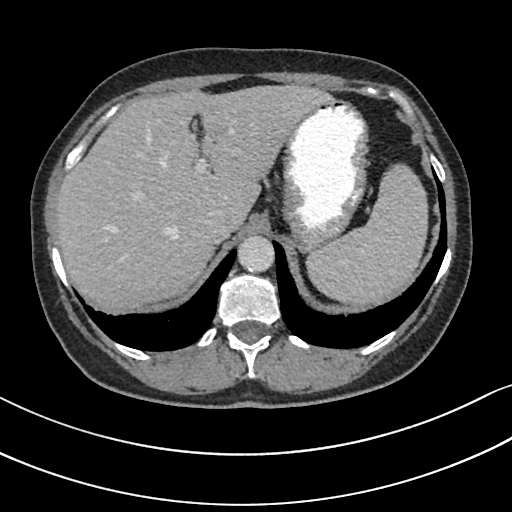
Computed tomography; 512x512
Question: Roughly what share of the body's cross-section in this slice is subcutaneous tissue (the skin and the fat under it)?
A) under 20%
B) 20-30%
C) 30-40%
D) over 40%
Answer: A) under 20%
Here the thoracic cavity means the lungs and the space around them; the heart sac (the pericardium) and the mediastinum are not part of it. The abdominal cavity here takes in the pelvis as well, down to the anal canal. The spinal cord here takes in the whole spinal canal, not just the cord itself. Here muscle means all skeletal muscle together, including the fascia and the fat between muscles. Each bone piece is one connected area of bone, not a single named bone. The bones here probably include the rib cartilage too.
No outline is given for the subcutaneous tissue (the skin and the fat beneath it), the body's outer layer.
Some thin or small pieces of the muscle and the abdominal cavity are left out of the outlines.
{"muscle":[{"outer":[[272,71],[275,72],[280,72],[281,71],[317,72],[318,73],[341,76],[348,79],[364,79],[380,83],[385,83],[394,86],[403,91],[411,98],[420,109],[432,128],[432,132],[436,137],[439,147],[443,153],[443,155],[451,171],[454,183],[454,193],[456,203],[456,218],[457,219],[457,237],[455,244],[454,257],[445,285],[437,299],[432,312],[414,333],[404,342],[384,356],[382,359],[363,375],[343,385],[330,389],[325,389],[302,394],[291,394],[286,392],[280,392],[275,390],[271,390],[266,387],[259,380],[256,379],[244,379],[233,386],[207,394],[179,394],[160,390],[148,386],[131,375],[105,352],[87,340],[68,317],[67,312],[60,300],[60,294],[58,291],[56,282],[51,270],[50,259],[48,256],[48,252],[46,247],[47,244],[46,243],[47,232],[45,230],[43,213],[44,212],[44,204],[47,193],[47,186],[49,177],[63,149],[73,136],[77,128],[95,109],[104,102],[121,93],[154,81],[162,80],[167,78],[203,75],[204,74],[217,74],[218,73],[257,73],[258,72],[271,72]],"hole":[[243,77],[363,94],[366,93],[363,86],[376,88],[381,95],[393,90],[405,98],[413,111],[414,117],[406,115],[405,119],[421,147],[426,153],[433,153],[442,165],[446,245],[452,252],[449,266],[395,328],[392,339],[377,350],[363,355],[359,352],[362,346],[312,344],[303,348],[289,341],[287,335],[291,331],[280,318],[268,331],[269,346],[255,356],[254,378],[246,376],[244,355],[229,346],[227,328],[219,321],[216,335],[205,346],[193,342],[170,350],[146,350],[150,358],[138,360],[113,344],[55,270],[51,248],[57,246],[56,210],[67,173],[64,163],[83,138],[88,135],[89,143],[104,125],[95,125],[99,118],[112,106],[119,103],[122,108],[139,97]]}],"spinal_cord":[[[245,320],[258,321],[261,323],[263,323],[265,325],[265,328],[266,329],[265,334],[258,340],[257,340],[255,342],[251,344],[249,344],[241,340],[239,338],[238,338],[237,336],[234,333],[234,330],[233,329],[234,326],[237,323],[241,321],[244,321]]],"torso":[[[206,46],[306,48],[372,59],[411,80],[438,116],[469,182],[472,263],[447,328],[427,357],[403,378],[356,396],[303,406],[218,409],[168,405],[95,383],[69,358],[50,328],[34,281],[29,213],[34,177],[45,152],[91,90],[115,71],[157,54]]],"bones":[{"outer":[[243,273],[267,278],[277,287],[281,314],[281,318],[268,331],[271,335],[269,346],[255,356],[254,378],[246,376],[248,368],[244,355],[240,350],[229,346],[226,337],[227,328],[219,321],[213,340],[205,346],[196,345],[212,325],[221,284],[230,276]],"hole":[[245,320],[258,321],[261,323],[263,323],[265,325],[265,328],[266,329],[265,334],[258,340],[257,340],[255,342],[251,344],[249,344],[241,340],[239,338],[238,338],[237,336],[234,333],[234,330],[233,329],[234,326],[237,323],[241,321],[244,321]]},[[363,86],[370,86],[376,88],[380,91],[380,94],[381,95],[385,95],[390,90],[393,90],[399,93],[408,102],[413,111],[414,117],[413,118],[408,117],[404,113],[400,106],[389,97],[382,98],[378,95],[373,95],[366,93],[362,89]],[[88,135],[89,136],[89,138],[87,139],[87,142],[88,143],[85,149],[82,152],[79,159],[72,166],[72,167],[70,169],[66,171],[64,169],[64,163],[65,162],[65,160],[66,159],[66,157],[68,153],[83,138],[84,138]],[[395,329],[396,329],[396,333],[394,335],[392,339],[387,344],[384,345],[379,349],[377,350],[375,350],[366,355],[363,355],[359,352],[359,351],[364,346],[366,346],[370,344],[372,342],[377,340],[379,338],[382,337],[384,335],[387,334],[389,332]],[[53,246],[55,246],[59,252],[59,255],[61,259],[61,262],[63,265],[63,268],[65,271],[65,275],[66,276],[67,281],[69,284],[70,289],[66,287],[62,283],[59,276],[55,270],[55,268],[54,267],[54,265],[51,258],[51,248]],[[113,340],[118,343],[123,344],[126,346],[128,346],[129,347],[131,347],[135,349],[138,349],[139,350],[141,350],[148,355],[149,355],[150,356],[150,358],[147,360],[138,360],[128,355],[126,355],[122,353],[113,344],[113,342],[112,341]],[[447,246],[448,246],[451,249],[451,251],[452,252],[452,254],[451,255],[451,259],[449,263],[449,266],[447,270],[445,272],[445,273],[440,278],[438,282],[435,285],[431,287],[431,285],[441,265],[441,263],[442,262],[443,257],[445,254]],[[431,152],[433,153],[439,160],[445,172],[445,181],[443,183],[441,183],[441,182],[437,177],[437,175],[435,173],[435,171],[433,169],[428,159],[428,156],[426,155],[426,153],[430,153]],[[118,103],[119,103],[120,104],[120,105],[119,106],[118,109],[104,123],[101,124],[99,126],[98,126],[97,127],[95,125],[95,124],[96,123],[96,122],[99,119],[99,118],[102,115],[103,115],[112,106],[113,106],[114,105],[115,105]],[[290,333],[291,333],[292,334],[293,334],[294,335],[299,337],[301,339],[304,340],[306,342],[311,344],[311,346],[309,348],[308,348],[307,349],[306,348],[303,348],[302,347],[297,346],[296,345],[291,343],[289,341],[289,340],[287,337],[287,335]]],"thoracic_cavity":[[[432,168],[444,193],[446,248],[429,288],[413,311],[397,327],[363,346],[339,348],[316,345],[292,333],[282,318],[273,241],[283,249],[297,294],[308,308],[326,315],[345,317],[374,310],[401,296],[416,281],[436,247],[440,235],[441,214],[438,188]],[[233,249],[235,250],[235,257],[226,278],[219,286],[216,311],[211,325],[195,342],[183,347],[170,350],[144,351],[118,342],[108,336],[93,321],[75,294],[75,292],[85,304],[96,312],[101,312],[110,316],[162,313],[177,308],[187,302]]],"abdominal_cavity":[[[243,77],[368,94],[399,106],[427,156],[437,188],[439,235],[427,264],[387,303],[346,316],[326,314],[304,303],[284,249],[271,238],[268,219],[260,217],[183,304],[157,313],[96,311],[72,289],[57,247],[56,210],[67,172],[104,124],[135,99]]],"mediastinum":[[[260,218],[266,218],[268,222],[270,238],[272,240],[272,244],[275,253],[275,271],[276,272],[277,286],[267,277],[255,275],[246,272],[235,275],[230,275],[227,277],[236,257],[236,250],[234,248],[238,244],[246,232],[251,228],[251,226]]]}